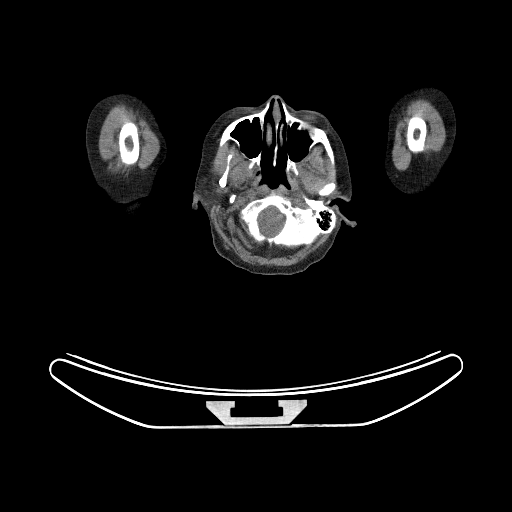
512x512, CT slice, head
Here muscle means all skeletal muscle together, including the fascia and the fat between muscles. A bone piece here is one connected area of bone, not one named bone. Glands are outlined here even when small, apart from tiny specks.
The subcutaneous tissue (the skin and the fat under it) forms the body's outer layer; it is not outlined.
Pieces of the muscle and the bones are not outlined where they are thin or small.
Outlines:
brain: (269, 206) (273, 206) (275, 207) (283, 215) (284, 217) (284, 220) (283, 221) (283, 224) (282, 225) (282, 227) (276, 233) (272, 235) (267, 235) (265, 233) (262, 232) (260, 229) (260, 226) (258, 222) (258, 217) (259, 216) (259, 214) (264, 209) (267, 208)
head: (272, 94) (280, 95) (296, 110) (320, 112) (339, 135) (352, 193) (349, 201) (335, 198) (330, 204) (356, 222) (355, 226) (342, 222) (326, 254) (291, 275) (251, 273) (230, 263) (213, 246) (202, 205) (198, 203) (195, 211) (191, 205) (210, 126) (223, 112) (257, 106) with holes at (254, 118) (258, 119) (266, 145) (274, 138) (273, 166) (287, 139) (286, 126) (296, 124) (296, 129) (310, 139) (308, 152) (299, 161) (286, 155) (284, 171) (289, 187) (280, 184) (271, 188) (261, 183) (262, 152) (247, 157) (232, 135) (238, 124) (246, 120) (251, 123) and at (271, 101) (273, 102) (273, 104) (272, 105) (272, 111) (271, 112) (271, 115) (272, 116) (272, 118) (274, 122) (273, 131) (273, 128) (270, 122) (269, 121) (267, 121) (266, 122) (265, 121) (265, 116) (269, 109) (269, 107) (270, 106) (270, 103) and at (323, 213) (325, 215) (326, 215) (327, 216) (327, 220) (328, 221) (328, 225) (327, 226) (325, 226) (324, 227) (321, 227) (320, 226) (320, 225) (319, 224) (319, 223) (320, 222) (322, 224) (323, 224) (325, 222) (325, 220) (324, 219) (324, 218) (322, 216) (322, 214) and at (279, 103) (280, 103) (280, 105) (281, 106) (281, 107) (282, 108) (282, 112) (283, 113) (283, 114) (284, 115) (284, 121) (283, 122) (282, 122) (281, 121) (281, 111) (280, 110) (280, 108) (279, 107)
bones 1: (272, 190) (288, 198) (293, 206) (300, 208) (308, 206) (304, 196) (321, 200) (333, 210) (336, 216) (334, 227) (330, 233) (320, 234) (309, 245) (287, 247) (281, 244) (269, 244) (266, 241) (256, 241) (249, 235) (248, 227) (240, 217) (240, 210) (249, 201) (264, 197), around holes outlined by (269, 206) (273, 206) (275, 207) (283, 215) (284, 217) (284, 220) (283, 221) (283, 224) (282, 225) (282, 227) (276, 233) (272, 235) (267, 235) (265, 233) (262, 232) (260, 229) (260, 226) (258, 222) (258, 217) (259, 216) (259, 214) (264, 209) (267, 208) and by (323, 213) (325, 215) (326, 215) (327, 216) (327, 220) (328, 221) (328, 225) (327, 226) (325, 226) (324, 227) (321, 227) (320, 226) (320, 225) (319, 224) (319, 223) (320, 222) (322, 224) (323, 224) (325, 222) (325, 220) (324, 219) (324, 218) (322, 216) (322, 214)
bones 2: (267, 102) (270, 102) (264, 121) (269, 122) (273, 132) (273, 106) (276, 102) (278, 104) (283, 123) (283, 102) (292, 115) (325, 132) (333, 151) (334, 164) (320, 143) (309, 151) (312, 141) (305, 131) (297, 129) (296, 123) (284, 127) (286, 139) (278, 149) (275, 165) (275, 138) (273, 135) (267, 145) (257, 117) (251, 122) (247, 119) (241, 121) (231, 132) (239, 142) (239, 148) (232, 140) (220, 146) (220, 137) (226, 126) (242, 116) (260, 111)
bones 3: (127, 120) (133, 122) (137, 126) (138, 129) (137, 132) (139, 138) (139, 155) (138, 156) (138, 159) (134, 164) (131, 164) (130, 165) (127, 165) (122, 162) (119, 153) (119, 144) (118, 143) (118, 135) (119, 132) (121, 129) (122, 125) (124, 122)
bones 4: (417, 113) (418, 113) (425, 121) (425, 123) (426, 124) (426, 129) (427, 131) (426, 132) (426, 135) (425, 136) (425, 141) (424, 142) (424, 148) (423, 150) (420, 152) (414, 153) (412, 152) (407, 146) (407, 142) (406, 141) (406, 132) (407, 131) (408, 120) (413, 115)
bones 5: (287, 155) (289, 156) (291, 160) (297, 162) (296, 163) (296, 166) (298, 170) (298, 174) (297, 175) (295, 175) (292, 171) (289, 173) (289, 177) (291, 179) (291, 182) (290, 183) (289, 183) (287, 179) (287, 176) (285, 171) (286, 164) (287, 163) (286, 162) (287, 161)
bones 6: (230, 153) (232, 154) (232, 157) (230, 160) (230, 168) (229, 169) (229, 171) (227, 175) (227, 181) (226, 182) (226, 184) (225, 186) (224, 187) (221, 187) (219, 184) (219, 179) (223, 174) (225, 170) (225, 168) (226, 167) (226, 164) (227, 163) (227, 156) (228, 154)
bones 7: (332, 181) (334, 181) (335, 182) (335, 183) (336, 184) (336, 187) (335, 188) (335, 189) (331, 193) (330, 193) (328, 195) (320, 195) (318, 193) (318, 191) (321, 188) (321, 187) (324, 184) (325, 184) (326, 183) (328, 183) (329, 182) (331, 182)
bones 8: (260, 152) (261, 152) (261, 158) (260, 159) (260, 170) (259, 169) (259, 168) (256, 165) (255, 165) (251, 169) (249, 169) (247, 167) (248, 166) (248, 164) (249, 163) (249, 159) (248, 158) (251, 158) (252, 157) (255, 157)
left arm: (419, 85) (432, 85) (439, 88) (446, 94) (449, 98) (454, 110) (455, 122) (456, 123) (456, 133) (452, 151) (433, 185) (426, 192) (418, 194) (408, 194) (399, 190) (394, 186) (388, 178) (385, 171) (384, 160) (387, 144) (388, 117) (390, 109) (398, 96) (404, 91)
right arm: (124, 90) (136, 92) (147, 100) (151, 106) (159, 128) (166, 142) (166, 155) (157, 170) (152, 191) (144, 200) (141, 206) (134, 212) (125, 210) (117, 203) (110, 201) (104, 191) (96, 184) (88, 163) (85, 147) (86, 124) (89, 114) (94, 105) (103, 97) (111, 93)
muscle 1: (246, 110) (260, 110) (232, 120) (222, 130) (218, 145) (221, 147) (232, 141) (248, 159) (246, 167) (251, 170) (256, 166) (259, 182) (271, 189) (280, 185) (289, 188) (292, 182) (290, 173) (295, 176) (299, 174) (297, 163) (303, 161) (317, 144) (323, 147) (330, 163) (335, 164) (334, 151) (326, 132) (300, 116) (313, 116) (327, 127) (337, 151) (339, 193) (328, 198) (327, 204) (321, 199) (304, 195) (307, 206) (296, 206) (288, 197) (272, 189) (264, 196) (249, 200) (239, 210) (239, 217) (245, 223) (248, 235) (258, 243) (287, 248) (309, 246) (320, 235) (329, 234) (323, 245) (289, 266) (252, 265) (240, 260) (222, 246) (211, 217) (211, 203) (219, 192) (217, 180) (209, 170) (214, 155) (214, 134) (228, 116) with holes at (230, 153) (232, 154) (232, 157) (230, 160) (230, 168) (229, 169) (229, 171) (227, 175) (227, 181) (226, 182) (226, 184) (225, 186) (224, 187) (221, 187) (219, 184) (219, 179) (223, 174) (225, 170) (225, 168) (226, 167) (226, 164) (227, 163) (227, 156) (228, 154) and at (332, 181) (334, 181) (335, 182) (335, 183) (336, 184) (336, 187) (335, 188) (335, 189) (331, 193) (330, 193) (328, 195) (320, 195) (318, 193) (318, 191) (321, 188) (321, 187) (324, 184) (325, 184) (326, 183) (328, 183) (329, 182) (331, 182)
muscle 2: (118, 101) (124, 102) (126, 101) (130, 103) (140, 112) (149, 124) (150, 128) (158, 138) (160, 146) (159, 152) (151, 165) (147, 169) (135, 175) (132, 179) (130, 179) (126, 183) (110, 182) (106, 179) (104, 175) (102, 174) (97, 147) (99, 130) (103, 119) (109, 108) with a hole at (127, 120) (133, 122) (137, 126) (138, 129) (137, 132) (139, 138) (139, 155) (138, 156) (138, 159) (134, 164) (131, 164) (130, 165) (127, 165) (122, 162) (119, 153) (119, 144) (118, 143) (118, 135) (119, 132) (121, 129) (122, 125) (124, 122)
muscle 3: (418, 97) (423, 97) (429, 100) (439, 111) (446, 129) (446, 140) (440, 152) (440, 155) (434, 162) (431, 162) (421, 167) (414, 167) (404, 171) (398, 171) (395, 169) (391, 158) (391, 153) (394, 143) (395, 126) (401, 115) (402, 110) (406, 107) (408, 102); inner edge: (417, 113) (418, 113) (425, 121) (425, 123) (426, 124) (426, 129) (427, 131) (426, 132) (426, 135) (425, 136) (425, 141) (424, 142) (424, 148) (423, 150) (420, 152) (414, 153) (412, 152) (407, 146) (407, 142) (406, 141) (406, 132) (407, 131) (408, 120) (413, 115)
parotid glands: (209, 175) (210, 175) (216, 180) (216, 184) (217, 185) (217, 190) (218, 192) (216, 195) (216, 197) (214, 199) (213, 199) (212, 201) (208, 204) (205, 201) (201, 199) (200, 196) (198, 194) (198, 189) (200, 185) (202, 183) (202, 182)